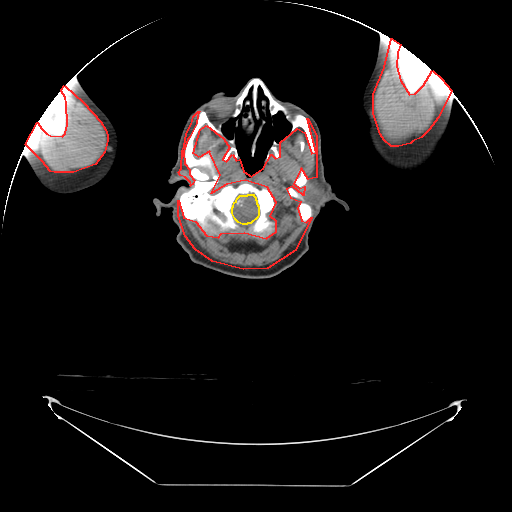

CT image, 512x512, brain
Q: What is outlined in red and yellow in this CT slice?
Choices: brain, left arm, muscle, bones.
A: red: muscle; yellow: brain.
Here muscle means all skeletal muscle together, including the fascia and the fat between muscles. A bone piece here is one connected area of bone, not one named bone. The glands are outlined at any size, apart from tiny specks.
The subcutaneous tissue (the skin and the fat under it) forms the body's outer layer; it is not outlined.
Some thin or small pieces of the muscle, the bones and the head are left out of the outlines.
The muscle appears in 4 outlined pieces: piece 1: 307,118 316,135 316,177 308,179 301,168 293,183 299,188 304,186 303,195 292,186 286,189 290,197 300,201 297,208 301,220 306,222 311,217 295,250 267,268 243,269 212,261 195,249 185,236 178,215 178,200 183,217 195,221 206,235 218,237 221,233 244,232 266,238 276,231 276,221 270,216 276,202 267,187 245,180 226,184 211,193 220,175 209,151 199,157 193,153 200,129 206,125 223,138 229,147 222,159 226,161 232,154 236,160 239,159 243,171 251,176 263,168 271,154 275,158 280,156 280,142 297,128 304,132 311,153 316,152; piece 2: 391,38 400,44 397,52 396,66 400,80 409,94 415,93 423,85 432,70 441,78 451,90 438,117 428,130 421,137 412,141 410,143 398,146 391,146 384,140 380,134 373,113 373,94 384,67; piece 3: 64,85 83,102 100,121 105,129 107,135 107,140 104,152 95,164 73,172 54,172 50,171 42,161 25,144 37,122 41,128 46,133 50,135 62,136 65,133 67,124 66,103 65,97 61,91 61,89; piece 4: 198,111 199,111 197,115 196,123 189,137 187,139 183,151 184,163 189,169 189,174 194,180 192,184 190,185 191,184 190,182 185,177 180,175 178,172 181,168 182,150 184,146 186,133 191,124 193,116. The brain is outlined by 248,194 253,194 253,195 255,197 255,199 256,200 256,203 258,206 258,215 257,217 250,223 247,223 246,224 242,224 238,222 235,219 232,213 232,207 233,206 234,202 236,201 237,198 240,195 247,195. The right arm is outlined by 73,76 75,77 94,102 105,113 112,123 116,131 117,138 118,139 117,153 110,170 108,173 97,183 87,188 72,193 56,193 47,189 40,183 23,156 22,151 36,123 46,109 47,106 63,86. The parotid glands are outlined by 311,178 314,178 315,179 316,178 321,185 321,187 323,189 323,193 324,194 323,195 323,198 321,201 320,201 319,203 317,204 317,205 312,203 308,203 304,197 304,188 305,187 305,185 307,183 308,180. The left arm is outlined by 379,31 398,42 417,56 441,78 454,95 451,102 451,114 446,131 439,142 433,157 423,168 413,174 402,174 389,169 379,159 375,153 367,133 369,122 362,106 362,97 365,86 376,60 378,46 380,42. The bones appear in 7 outlined pieces: piece 1: 201,110 214,124 223,123 226,138 234,134 239,156 224,160 228,142 206,124 199,129 192,153 199,158 209,152 219,175 210,193 245,181 267,188 275,202 272,234 210,235 184,217 179,198 195,180 184,151; inner edge: 248,194 253,194 253,195 255,197 255,199 256,200 256,203 258,206 258,215 257,217 250,223 247,223 246,224 242,224 238,222 235,219 232,213 232,207 233,206 234,202 236,201 237,198 240,195 247,195; piece 2: 253,78 259,78 291,114 305,116 315,145 314,153 300,127 286,137 291,124 281,111 272,117 266,107 266,122 257,138 254,155 251,155 258,122 247,137 239,126 235,128 235,119 230,115 237,97 with a hole at 259,89 260,89 262,91 262,94 263,95 263,97 259,101 259,104 260,105 260,110 259,109 259,108 258,107 258,91 259,90; piece 3: 401,44 405,48 417,56 431,69 425,81 422,84 422,85 415,92 413,93 409,93 409,92 406,89 404,84 401,80 401,78 399,74 399,71 398,70 398,67 397,66 397,58 398,57 398,52 401,46; piece 4: 60,90 60,91 62,93 64,97 64,102 65,103 65,116 66,117 66,124 65,125 65,130 64,131 64,133 62,135 53,135 52,134 50,134 46,132 42,128 38,120 42,115 43,112 46,109 47,106; piece 5: 289,187 292,187 296,191 299,193 301,193 303,196 303,200 306,203 309,204 311,206 312,208 312,214 306,221 303,221 300,216 300,213 298,208 298,204 301,201 298,198 290,196 288,194 287,189; piece 6: 273,140 275,140 279,143 277,146 277,150 278,151 279,156 278,157 275,157 275,156 272,153 271,153 270,154 270,157 269,159 267,161 265,161 265,159 267,155 267,152 268,151 268,149 272,144 273,142; piece 7: 301,169 302,169 304,171 304,172 306,175 306,177 307,178 307,181 306,182 306,183 304,185 303,185 301,187 299,187 298,186 297,186 294,183 294,180 296,178 297,178 299,176 299,175 300,174 300,170. The head is outlined by 252,78 313,117 321,134 325,178 349,206 347,211 328,202 309,232 308,250 290,267 263,279 194,263 176,240 172,209 162,207 156,216 153,203 155,197 168,202 186,184 168,178 190,113 215,92 237,94, around holes outlined by 266,108 272,118 281,112 290,129 281,141 272,140 262,168 248,175 240,163 235,134 231,138 226,137 222,127 228,120 234,119 234,128 239,127 247,138 253,133 257,122 250,150 253,157 258,138 267,122 and by 259,89 260,89 262,91 262,94 263,95 263,97 259,101 259,104 260,105 260,110 259,109 259,108 258,107 258,91 259,90.